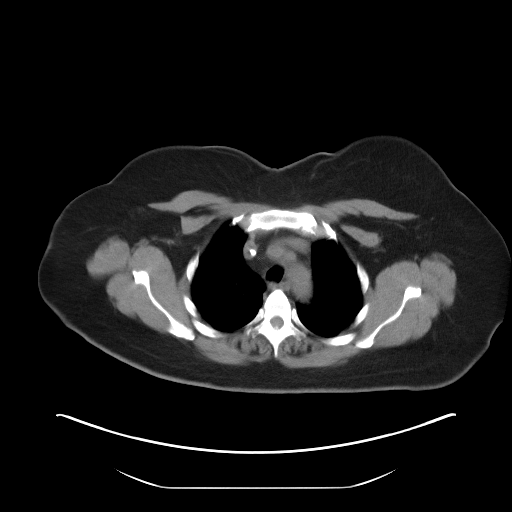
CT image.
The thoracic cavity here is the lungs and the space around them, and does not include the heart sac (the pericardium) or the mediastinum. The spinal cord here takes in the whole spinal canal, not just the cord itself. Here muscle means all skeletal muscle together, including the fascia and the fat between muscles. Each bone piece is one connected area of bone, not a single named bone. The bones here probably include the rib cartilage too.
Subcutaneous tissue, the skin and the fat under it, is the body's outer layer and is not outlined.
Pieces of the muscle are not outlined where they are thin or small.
The thoracic cavity appears in 2 outlined pieces: piece 1: 227,221 229,221 231,226 238,226 246,234 246,238 241,250 244,262 252,272 261,278 265,288 262,293 262,304 249,321 242,327 232,331 221,331 204,322 202,319 191,298 191,283 198,267 201,255 214,235; piece 2: 320,239 331,240 335,243 338,243 354,265 360,285 363,304 355,315 353,321 347,327 336,335 325,337 311,331 301,321 295,307 297,302 303,305 308,305 311,302 313,297 314,280 312,271 312,245 313,243. The muscle appears in 2 outlined pieces: piece 1: 192,189 279,207 366,198 418,214 411,220 375,220 383,250 369,253 367,266 374,275 395,261 440,252 454,265 453,303 422,337 338,366 288,368 274,359 231,365 198,356 177,338 192,341 196,331 218,339 243,327 247,336 262,335 275,359 286,338 300,341 311,332 327,346 354,341 356,348 369,349 408,300 422,295 422,288 408,284 396,310 356,339 354,331 342,332 366,317 370,304 363,303 363,295 370,279 358,260 352,262 328,222 318,221 307,210 273,207 247,215 242,212 225,221 203,252 198,249 187,263 198,237 180,234 175,213 147,204; piece 2: 112,235 132,242 152,239 170,255 175,274 185,273 190,283 191,295 183,294 182,302 192,327 158,301 142,268 131,270 133,282 145,288 168,320 167,332 175,337 130,320 111,304 104,286 88,274 86,260. The mediastinum is outlined by 276,229 289,229 297,231 302,235 312,235 319,239 311,245 313,294 308,304 297,301 294,306 292,305 286,293 279,287 272,289 264,298 263,293 266,288 264,281 245,262 242,250 247,238 246,233. The bones appear in 8 outlined pieces: piece 1: 276,288 281,289 285,293 291,305 295,308 300,321 310,332 308,332 300,340 297,340 292,335 286,337 279,344 278,355 275,358 271,343 262,334 256,334 254,337 247,335 244,331 244,326 256,315 267,295 with a hole at 274,317 279,317 282,320 282,324 281,325 281,326 280,326 279,327 278,326 274,326 271,323 271,319 272,318 273,318; piece 2: 273,208 310,212 318,222 323,220 331,226 336,232 338,240 337,242 331,239 318,238 312,234 305,235 297,230 289,228 245,232 238,225 231,225 230,221 234,216 242,213 247,216 253,212; piece 3: 133,269 142,269 148,273 153,296 178,321 188,327 193,327 192,317 183,302 183,295 187,295 196,307 197,318 223,332 224,335 213,338 195,330 194,339 187,340 168,332 169,320 152,303 146,288 134,282; piece 4: 408,285 419,286 421,288 421,295 419,297 410,298 407,300 398,317 391,322 384,325 378,331 374,337 373,344 369,348 356,347 355,346 355,341 356,340 361,339 367,336 379,324 397,310 402,301 404,290; piece 5: 349,332 354,332 356,334 355,339 351,342 347,344 345,344 344,345 337,345 336,346 334,346 333,345 327,345 323,343 321,340 322,338 325,338 326,337 333,337 341,333 344,334 345,333 348,333; piece 6: 357,261 358,261 364,268 368,275 368,278 369,279 368,287 367,288 367,290 364,294 362,293 362,291 361,290 361,285 360,284 360,281 358,278 358,275 357,274 357,271 356,270 356,267 355,266 355,264; piece 7: 198,250 200,252 200,256 199,257 198,264 197,265 197,267 194,272 194,274 193,275 192,280 191,281 191,282 189,282 189,281 187,279 187,277 186,276 186,270 187,269 187,264 188,263 189,260; piece 8: 365,303 368,303 369,304 369,307 368,308 368,311 367,312 365,317 363,319 363,320 359,324 358,324 356,326 354,326 353,325 353,322 354,321 354,319 355,318 356,315 358,313 358,312 362,307 362,306. The torso is outlined by 376,133 401,135 427,150 498,229 508,247 509,277 502,321 484,355 451,384 418,391 251,393 179,383 148,374 92,345 66,327 40,296 37,269 58,214 73,198 107,182 143,151 173,143 227,145 280,167. The spinal cord is outlined by 274,317 279,317 282,320 282,324 281,325 281,326 280,326 279,327 278,326 274,326 271,323 271,319 272,318 273,318.